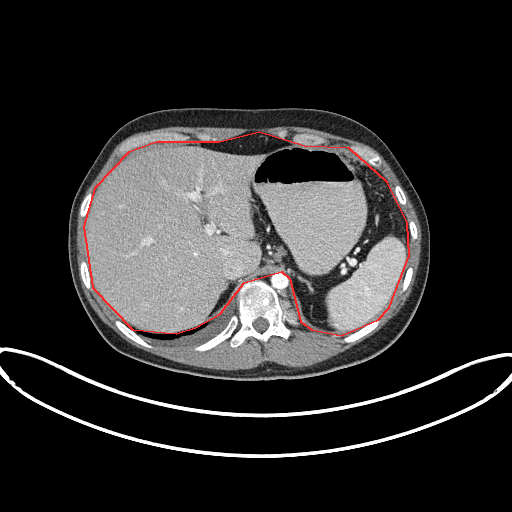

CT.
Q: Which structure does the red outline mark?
A: red: abdominal cavity.
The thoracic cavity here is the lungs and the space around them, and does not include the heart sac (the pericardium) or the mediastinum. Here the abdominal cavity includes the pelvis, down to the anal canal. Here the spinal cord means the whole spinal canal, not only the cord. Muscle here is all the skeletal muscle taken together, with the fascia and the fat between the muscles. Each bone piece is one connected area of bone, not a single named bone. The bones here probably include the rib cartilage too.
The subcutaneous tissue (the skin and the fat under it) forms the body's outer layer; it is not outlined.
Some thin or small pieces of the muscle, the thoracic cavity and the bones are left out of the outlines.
{"abdominal_cavity":[[[341,335],[378,319],[389,307],[409,255],[407,222],[387,182],[349,148],[304,146],[259,132],[219,142],[156,142],[128,152],[94,188],[83,226],[92,287],[132,329],[176,333],[195,327],[220,313],[244,282],[281,271],[289,278],[300,321],[311,329]]],"muscle":[[[224,370],[249,369],[266,361],[290,367],[315,364],[371,336],[399,312],[415,282],[421,252],[420,224],[403,188],[407,202],[401,206],[402,210],[407,221],[413,220],[418,229],[418,237],[415,240],[410,238],[408,266],[414,269],[414,273],[407,289],[398,293],[374,330],[354,342],[343,343],[341,340],[344,336],[288,325],[292,334],[287,340],[272,336],[264,344],[249,337],[238,347],[232,348],[227,339],[204,352],[194,351],[194,346],[143,337],[153,346],[146,348],[116,327],[114,321],[117,318],[92,288],[85,287],[80,278],[79,263],[85,260],[82,249],[85,217],[79,216],[79,207],[76,235],[79,278],[88,301],[103,322],[127,342],[145,351],[189,365]],[[394,197],[394,186],[396,184],[402,186],[390,166],[373,148],[364,143],[329,132],[298,126],[277,126],[269,128],[170,126],[138,132],[127,137],[114,148],[84,195],[92,191],[100,179],[107,173],[111,166],[123,155],[120,155],[117,152],[117,148],[124,141],[132,136],[166,130],[186,133],[191,136],[190,139],[200,141],[195,137],[195,135],[198,132],[206,132],[215,138],[214,141],[209,141],[219,141],[246,131],[259,131],[277,136],[276,133],[279,130],[286,129],[289,134],[285,139],[290,140],[291,135],[296,132],[313,133],[323,136],[327,140],[327,142],[324,144],[341,144],[348,147],[351,144],[359,144],[377,153],[382,160],[382,165],[377,169],[388,182]]],"torso":[[[244,381],[320,375],[364,362],[387,349],[411,321],[426,285],[430,263],[430,232],[424,206],[384,141],[365,125],[339,113],[314,108],[170,108],[140,115],[122,125],[107,140],[74,196],[68,221],[68,258],[76,293],[97,331],[118,352],[171,371]]],"bones":[{"outer":[[196,351],[210,349],[227,338],[230,339],[232,347],[238,346],[249,336],[264,343],[272,335],[287,339],[291,330],[287,326],[288,323],[277,293],[271,286],[259,279],[244,283],[237,297],[238,312],[230,318],[221,332],[208,341],[195,346],[193,348]],"hole":[[260,332],[262,332],[263,331],[264,331],[267,328],[267,327],[268,326],[268,322],[267,321],[267,320],[266,319],[265,319],[264,318],[262,318],[261,317],[259,317],[258,318],[257,318],[253,322],[253,326],[255,328],[255,329],[256,330],[257,330]]},[[120,154],[124,154],[133,148],[146,143],[156,141],[164,141],[165,142],[166,141],[186,141],[190,138],[190,136],[178,132],[167,132],[166,131],[165,132],[162,131],[144,135],[139,135],[135,137],[132,137],[124,142],[118,148],[118,152]],[[376,168],[379,167],[381,165],[381,160],[380,159],[379,156],[377,154],[376,154],[372,151],[371,151],[364,147],[362,147],[359,145],[351,145],[350,146],[350,149],[351,149],[356,154],[357,154],[359,156],[360,156],[368,164],[369,164]],[[304,145],[319,145],[320,144],[323,144],[325,143],[326,142],[326,140],[323,137],[321,137],[317,135],[314,135],[313,134],[307,134],[306,133],[296,133],[292,135],[292,138],[291,140],[295,143],[298,143],[299,144],[303,144]],[[343,342],[350,342],[351,341],[354,341],[364,336],[366,334],[370,332],[373,329],[374,329],[378,325],[379,323],[379,320],[375,320],[371,322],[369,324],[364,326],[359,330],[345,336],[342,340]],[[146,347],[152,347],[152,346],[148,343],[147,343],[141,337],[141,336],[137,334],[133,330],[129,328],[125,324],[124,324],[119,320],[117,319],[115,321],[115,324],[117,326],[117,327],[125,335],[126,335],[129,338],[132,339],[134,341]],[[87,288],[90,288],[91,287],[91,283],[90,282],[90,278],[89,277],[89,272],[88,271],[88,269],[87,268],[87,264],[86,263],[86,262],[83,260],[82,261],[81,261],[81,262],[80,263],[80,274],[81,275],[81,278],[82,279],[84,284]],[[82,217],[85,216],[85,215],[87,213],[87,211],[89,208],[89,206],[90,205],[90,203],[91,202],[92,195],[90,192],[89,193],[88,193],[84,197],[84,198],[80,205],[80,209],[79,210],[79,214],[80,215],[80,216],[81,216]],[[400,293],[404,291],[406,289],[406,288],[408,286],[411,280],[411,277],[413,273],[413,269],[411,267],[408,267],[406,270],[406,272],[405,273],[405,275],[404,276],[404,278],[402,282],[402,285],[399,291]]],"spinal_cord":[[[260,332],[262,332],[263,331],[264,331],[267,328],[267,327],[268,326],[268,322],[267,321],[267,320],[266,319],[265,319],[264,318],[262,318],[261,317],[259,317],[258,318],[257,318],[253,322],[253,326],[255,328],[255,329],[256,330],[257,330]]],"thoracic_cavity":[[[182,345],[197,345],[208,340],[221,331],[226,325],[229,318],[234,313],[237,312],[236,310],[236,297],[220,314],[216,316],[210,322],[202,324],[184,332],[176,334],[152,334],[147,332],[135,331],[144,337],[156,339],[160,341],[168,341],[170,343]],[[304,329],[310,329],[307,328],[304,325],[303,325],[299,321],[298,318],[295,315],[292,308],[292,302],[290,300],[290,296],[289,295],[289,293],[288,297],[285,300],[282,306],[285,312],[285,315],[287,318],[287,320],[290,325],[294,327],[303,328]]],"mediastinum":[[[282,305],[284,300],[287,297],[288,293],[289,292],[289,287],[288,286],[288,278],[287,276],[281,272],[269,272],[266,274],[263,274],[255,278],[259,278],[260,279],[262,279],[271,285],[272,287],[278,293],[278,295],[281,300],[281,304]]]}